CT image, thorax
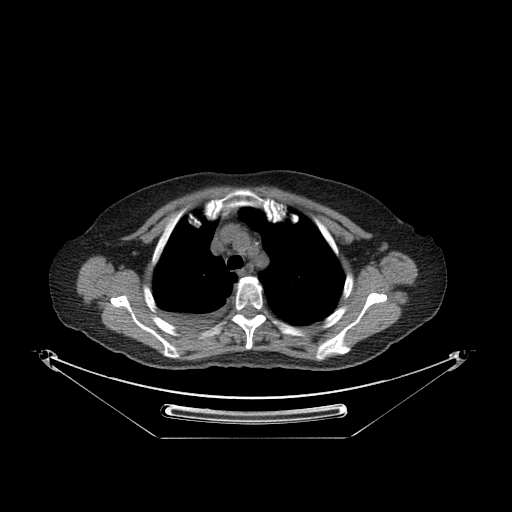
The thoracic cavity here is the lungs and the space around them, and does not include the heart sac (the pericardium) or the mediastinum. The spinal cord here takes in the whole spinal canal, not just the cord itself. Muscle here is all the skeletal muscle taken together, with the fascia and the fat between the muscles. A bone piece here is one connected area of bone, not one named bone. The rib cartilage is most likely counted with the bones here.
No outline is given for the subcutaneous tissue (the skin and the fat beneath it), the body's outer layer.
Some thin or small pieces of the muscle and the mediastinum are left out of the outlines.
The mediastinum is outlined by (238, 208) (239, 219) (252, 230) (260, 234) (262, 246) (269, 256) (269, 263) (267, 267) (259, 271) (257, 273) (257, 277) (254, 275) (245, 275) (238, 279) (237, 275) (227, 268) (224, 260) (210, 251) (210, 244) (218, 223) (218, 218) (220, 216) (225, 217) (232, 210). The bones appear in 12 outlined pieces: piece 1: (245, 276) (254, 276) (258, 279) (262, 286) (265, 303) (275, 318) (303, 330) (306, 334) (304, 336) (296, 336) (282, 333) (268, 318) (255, 328) (252, 336) (252, 346) (250, 349) (246, 349) (245, 331) (227, 317) (230, 311) (232, 297) (236, 290) (236, 283) (240, 278), around a hole outlined by (248, 305) (250, 305) (251, 306) (252, 306) (254, 308) (255, 308) (257, 311) (257, 312) (255, 314) (255, 315) (254, 316) (253, 316) (252, 317) (250, 317) (249, 318) (248, 317) (246, 317) (241, 312) (241, 310) (243, 308) (244, 308) (246, 306) (247, 306); piece 2: (236, 188) (247, 188) (262, 198) (271, 198) (284, 204) (287, 207) (288, 213) (298, 215) (298, 221) (293, 223) (286, 218) (274, 223) (267, 220) (261, 209) (251, 206) (234, 208) (225, 216) (220, 215) (214, 220) (208, 220) (202, 213) (204, 204) (211, 199) (222, 198); piece 3: (371, 292) (384, 293) (387, 296) (387, 298) (382, 302) (376, 302) (370, 305) (366, 309) (359, 321) (346, 331) (344, 336) (344, 342) (351, 349) (344, 354) (336, 354) (322, 360) (318, 360) (315, 356) (318, 346) (326, 340) (333, 337) (358, 316) (366, 301) (367, 296); piece 4: (119, 295) (125, 295) (127, 297) (132, 311) (136, 318) (141, 323) (154, 330) (178, 349) (180, 353) (179, 357) (172, 358) (163, 355) (161, 353) (163, 348) (161, 342) (153, 334) (137, 325) (126, 307) (124, 306) (116, 307) (111, 303) (110, 301) (111, 297) (116, 297); piece 5: (187, 205) (188, 205) (188, 208) (187, 210) (179, 219) (179, 220) (175, 225) (163, 248) (163, 250) (159, 257) (159, 259) (157, 261) (154, 267) (152, 268) (151, 266) (152, 254) (154, 251) (155, 246) (160, 236) (162, 234) (167, 222) (169, 220) (169, 218) (173, 213); piece 6: (312, 215) (315, 215) (325, 225) (325, 226) (331, 234) (338, 248) (338, 251) (339, 252) (339, 254) (338, 256) (337, 256) (334, 253) (334, 252) (332, 250) (332, 249) (330, 247) (328, 243) (323, 237) (319, 229) (312, 220) (312, 218) (311, 217); piece 7: (344, 305) (346, 306) (347, 308) (345, 312) (342, 315) (342, 316) (334, 324) (333, 324) (331, 326) (327, 328) (322, 328) (321, 326) (322, 325) (322, 322) (323, 320) (327, 316) (331, 314) (337, 308) (341, 306) (343, 306); piece 8: (153, 315) (157, 315) (165, 321) (175, 326) (176, 327) (176, 331) (179, 334) (179, 335) (178, 336) (175, 336) (169, 333) (167, 333) (163, 331) (161, 329) (160, 329) (153, 321) (152, 319) (152, 317); piece 9: (144, 284) (146, 284) (148, 285) (148, 286) (151, 289) (151, 292) (152, 293) (153, 298) (157, 306) (157, 310) (155, 312) (153, 312) (151, 311) (151, 310) (149, 308) (149, 307) (147, 305) (145, 301) (145, 299) (144, 298) (144, 294) (143, 293) (143, 285); piece 10: (225, 319) (226, 320) (226, 322) (222, 326) (221, 328) (221, 330) (218, 334) (215, 334) (214, 335) (212, 335) (211, 336) (208, 336) (207, 337) (204, 337) (203, 338) (199, 338) (198, 337) (198, 335) (201, 332) (209, 329) (220, 321) (222, 320) (224, 320); piece 11: (349, 271) (350, 271) (352, 273) (352, 274) (353, 275) (353, 286) (352, 287) (352, 289) (351, 290) (349, 295) (345, 299) (344, 299) (341, 296) (341, 295) (342, 294) (342, 291) (343, 290) (343, 287) (344, 286) (344, 283) (345, 282) (345, 277) (346, 276) (346, 274); piece 12: (189, 212) (191, 212) (195, 216) (196, 216) (200, 220) (200, 221) (201, 222) (201, 225) (199, 227) (196, 227) (195, 226) (194, 226) (193, 225) (192, 225) (190, 223) (189, 223) (188, 222) (188, 217) (187, 216) (187, 214). The spinal cord is outlined by (248, 305) (250, 305) (251, 306) (252, 306) (254, 308) (255, 308) (257, 311) (257, 312) (255, 314) (255, 315) (254, 316) (253, 316) (252, 317) (250, 317) (249, 318) (248, 317) (246, 317) (241, 312) (241, 310) (243, 308) (244, 308) (246, 306) (247, 306). The thoracic cavity appears in 2 outlined pieces: piece 1: (243, 207) (261, 210) (266, 220) (274, 224) (286, 219) (293, 224) (299, 221) (299, 215) (288, 212) (289, 208) (316, 226) (345, 275) (336, 308) (322, 320) (296, 326) (270, 311) (258, 278) (258, 273) (268, 267) (270, 256) (263, 246) (261, 234) (240, 219) (239, 211); piece 2: (197, 209) (201, 209) (208, 221) (217, 219) (209, 251) (223, 260) (226, 268) (236, 275) (237, 281) (233, 284) (235, 290) (227, 313) (205, 329) (188, 330) (162, 318) (152, 292) (152, 279) (154, 268) (180, 219) (186, 215) (192, 226) (199, 228) (202, 225) (192, 212). The torso is outlined by (266, 169) (297, 170) (353, 185) (379, 199) (418, 233) (429, 233) (441, 247) (447, 268) (446, 291) (430, 320) (366, 362) (338, 370) (312, 371) (151, 367) (105, 348) (58, 319) (48, 287) (50, 264) (62, 244) (83, 232) (106, 207) (144, 186) (178, 175). The muscle is outlined by (215, 185) (275, 186) (341, 213) (373, 235) (355, 239) (345, 248) (358, 270) (389, 250) (408, 255) (418, 274) (401, 316) (352, 349) (345, 342) (347, 331) (370, 306) (388, 298) (384, 292) (371, 291) (357, 316) (317, 346) (317, 360) (251, 350) (256, 328) (268, 319) (282, 334) (296, 337) (307, 334) (297, 326) (320, 321) (322, 329) (334, 325) (348, 308) (344, 304) (337, 306) (341, 297) (345, 300) (350, 295) (354, 275) (350, 270) (345, 274) (338, 258) (339, 248) (315, 214) (311, 220) (274, 198) (236, 187) (222, 197) (209, 199) (201, 208) (185, 214) (187, 204) (170, 215) (151, 254) (151, 288) (144, 283) (142, 293) (150, 311) (160, 311) (161, 317) (153, 314) (151, 319) (163, 332) (178, 337) (177, 328) (204, 330) (197, 337) (211, 337) (221, 332) (227, 320) (217, 322) (227, 314) (244, 331) (246, 350) (199, 360) (176, 359) (181, 355) (179, 349) (137, 318) (125, 294) (111, 296) (110, 303) (126, 308) (134, 323) (160, 342) (160, 353) (107, 328) (77, 293) (76, 280) (82, 264) (102, 255) (142, 271) (152, 252) (150, 246) (138, 239) (121, 238) (169, 201).